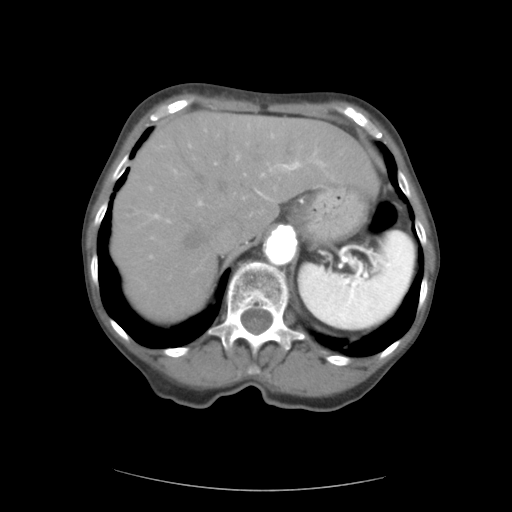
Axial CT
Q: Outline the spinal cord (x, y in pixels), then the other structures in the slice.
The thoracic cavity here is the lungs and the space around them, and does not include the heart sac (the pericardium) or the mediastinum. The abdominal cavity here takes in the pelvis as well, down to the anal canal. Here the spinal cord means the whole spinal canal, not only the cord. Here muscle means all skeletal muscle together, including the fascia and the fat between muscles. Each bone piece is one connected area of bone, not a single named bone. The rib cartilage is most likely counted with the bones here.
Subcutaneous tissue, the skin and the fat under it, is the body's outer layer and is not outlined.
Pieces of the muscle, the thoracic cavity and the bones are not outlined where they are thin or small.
A: Outlines:
spinal cord: (250, 309) (261, 309) (262, 310) (265, 310) (267, 311) (271, 315) (271, 323) (270, 325) (266, 329) (265, 329) (260, 333) (258, 333) (257, 334) (252, 333) (250, 331) (249, 331) (243, 325) (241, 321) (241, 316) (242, 314) (245, 311) (247, 310) (249, 310)
abdominal cavity: (190, 104) (341, 118) (377, 140) (419, 242) (417, 272) (389, 320) (346, 344) (296, 319) (287, 282) (298, 250) (292, 222) (268, 229) (235, 257) (221, 275) (217, 299) (208, 310) (169, 329) (151, 325) (134, 312) (108, 252) (113, 200) (130, 159) (152, 129) (148, 126)
bones 1: (248, 260) (267, 263) (283, 271) (285, 275) (289, 299) (283, 320) (288, 327) (306, 334) (302, 340) (293, 340) (287, 351) (277, 342) (269, 340) (253, 354) (250, 345) (243, 338) (236, 339) (225, 350) (218, 336) (206, 332) (213, 324) (224, 320) (228, 281) (240, 264); inner edge: (250, 309) (261, 309) (262, 310) (265, 310) (267, 311) (271, 315) (271, 323) (270, 325) (266, 329) (265, 329) (260, 333) (258, 333) (257, 334) (252, 333) (250, 331) (249, 331) (243, 325) (241, 321) (241, 316) (242, 314) (245, 311) (247, 310) (249, 310)
bones 2: (338, 106) (340, 107) (344, 107) (345, 106) (351, 106) (357, 111) (363, 114) (382, 133) (382, 137) (381, 139) (378, 140) (374, 138) (371, 135) (370, 135) (366, 131) (366, 130) (364, 129) (363, 127) (358, 125) (349, 117) (339, 112) (336, 109) (336, 107)
bones 3: (191, 97) (193, 98) (193, 101) (182, 109) (180, 109) (173, 113) (169, 113) (161, 117) (159, 119) (152, 123) (151, 123) (151, 122) (149, 120) (149, 116) (152, 113) (155, 112) (160, 106) (162, 105) (166, 105) (176, 100) (179, 100) (180, 99) (188, 99)
bones 4: (129, 152) (129, 164) (127, 166) (127, 167) (125, 169) (125, 170) (122, 173) (122, 174) (115, 181) (113, 181) (112, 180) (112, 174) (113, 173) (114, 170) (116, 168) (116, 167) (118, 165) (118, 164) (120, 162) (120, 161) (122, 159) (122, 158) (127, 153) (128, 153)
bones 5: (398, 169) (399, 169) (404, 174) (404, 175) (408, 182) (408, 184) (409, 185) (409, 188) (410, 189) (410, 193) (411, 194) (411, 197) (409, 199) (408, 199) (408, 198) (402, 191) (402, 190) (400, 188) (400, 187) (398, 184) (398, 180) (397, 179) (397, 170)
bones 6: (107, 199) (109, 199) (108, 200) (108, 203) (107, 204) (107, 207) (106, 208) (105, 213) (103, 216) (103, 218) (102, 219) (99, 226) (96, 226) (94, 224) (94, 219) (95, 218) (96, 213) (97, 212) (99, 207) (101, 205) (101, 204) (105, 200) (106, 200)
bones 7: (110, 317) (111, 318) (112, 318) (126, 332) (126, 333) (130, 337) (130, 339) (129, 340) (126, 340) (125, 339) (124, 339) (121, 336) (120, 336) (115, 331) (115, 330) (113, 328) (113, 327) (111, 325) (111, 324) (110, 323) (110, 321) (109, 320) (109, 319) (110, 318)
bones 8: (400, 338) (400, 342) (398, 344) (398, 345) (389, 354) (388, 354) (386, 356) (385, 356) (382, 358) (380, 358) (379, 357) (379, 356) (378, 355) (378, 354) (381, 351) (382, 351) (385, 348) (386, 348) (390, 344) (391, 344) (394, 341) (395, 341) (396, 340) (397, 340)
mediastinum: (286, 223) (293, 224) (296, 232) (295, 237) (297, 240) (296, 254) (287, 279) (286, 279) (286, 275) (283, 270) (281, 270) (267, 262) (257, 259) (248, 259) (243, 261) (239, 264) (229, 277) (230, 275) (229, 267) (237, 256) (252, 248) (255, 245) (256, 241) (268, 230)
muscle: (185, 91) (187, 92) (195, 92) (207, 96) (221, 96) (225, 98) (232, 98) (237, 100) (246, 100) (254, 103) (261, 104) (263, 106) (266, 106) (267, 104) (270, 103) (293, 103) (301, 101) (324, 102) (332, 99) (344, 100) (348, 102) (352, 102) (365, 109) (379, 121) (391, 135) (398, 146) (408, 171) (411, 176) (411, 178) (414, 183) (416, 190) (419, 195) (431, 230) (432, 241) (435, 251) (434, 273) (432, 277) (432, 282) (431, 283) (427, 305) (422, 320) (412, 339) (400, 352) (380, 367) (369, 377) (357, 385) (343, 392) (326, 397) (304, 397) (303, 396) (297, 396) (296, 395) (291, 395) (284, 393) (272, 392) (261, 381) (255, 378) (247, 378) (238, 381) (229, 386) (225, 386) (224, 387) (205, 389) (204, 390) (192, 389) (186, 386) (181, 386) (172, 382) (161, 373) (152, 368) (147, 363) (144, 362) (130, 352) (114, 337) (101, 320) (97, 312) (92, 297) (92, 293) (88, 277) (88, 268) (87, 267) (86, 232) (88, 227) (91, 210) (98, 196) (103, 180) (110, 166) (118, 154) (124, 140) (129, 132) (133, 128) (134, 125) (154, 105) (167, 98) (177, 94) (180, 94); inner edges: (191, 97) (192, 104) (212, 110) (350, 122) (336, 107) (351, 106) (382, 133) (379, 140) (408, 182) (408, 202) (426, 236) (421, 247) (427, 293) (389, 354) (330, 363) (325, 357) (337, 353) (296, 321) (289, 303) (283, 320) (306, 337) (293, 340) (287, 351) (269, 340) (253, 354) (243, 338) (225, 350) (218, 336) (204, 332) (185, 345) (184, 355) (173, 357) (115, 331) (91, 277) (100, 227) (94, 219) (114, 189) (114, 170) (151, 123) (149, 116), then (250, 367) (256, 367) (257, 368) (258, 368) (259, 369) (259, 372) (258, 373) (253, 373) (252, 374) (249, 374) (248, 373) (248, 369)
torso: (190, 81) (265, 92) (349, 93) (379, 109) (405, 145) (439, 240) (441, 263) (433, 301) (411, 348) (372, 389) (342, 408) (329, 412) (283, 409) (266, 404) (253, 386) (222, 396) (206, 408) (160, 398) (110, 342) (92, 313) (80, 249) (92, 189) (132, 110) (150, 94)
thoracic cavity 1: (127, 168) (125, 179) (112, 200) (107, 252) (117, 271) (121, 293) (133, 312) (147, 324) (169, 330) (208, 311) (218, 299) (222, 275) (229, 271) (224, 302) (218, 315) (205, 332) (185, 345) (161, 348) (139, 343) (108, 314) (102, 301) (98, 277) (98, 231) (115, 182)
thoracic cavity 2: (420, 244) (423, 254) (423, 275) (420, 281) (418, 301) (413, 321) (409, 328) (399, 338) (379, 352) (366, 356) (349, 356) (337, 353) (314, 339) (296, 321) (318, 335) (330, 339) (343, 340) (346, 345) (351, 345) (371, 334) (389, 321) (402, 305) (419, 269) (418, 248)
thoracic cavity 3: (378, 141) (381, 141) (387, 147) (394, 158) (397, 167) (396, 170) (397, 184) (407, 198) (412, 208) (414, 214) (413, 225) (415, 232) (412, 227) (413, 224) (409, 215) (408, 206) (400, 197) (390, 180) (386, 162) (384, 159) (384, 155) (382, 150) (380, 149) (377, 144)
thoracic cavity 4: (148, 127) (150, 127) (151, 128) (149, 133) (147, 135) (145, 139) (140, 144) (139, 147) (137, 148) (133, 156) (131, 158) (130, 158) (130, 152) (133, 146) (135, 144) (137, 140) (140, 137) (142, 133) (145, 130) (145, 129)